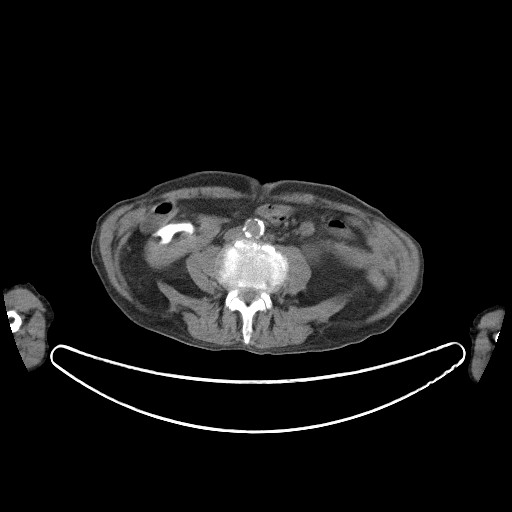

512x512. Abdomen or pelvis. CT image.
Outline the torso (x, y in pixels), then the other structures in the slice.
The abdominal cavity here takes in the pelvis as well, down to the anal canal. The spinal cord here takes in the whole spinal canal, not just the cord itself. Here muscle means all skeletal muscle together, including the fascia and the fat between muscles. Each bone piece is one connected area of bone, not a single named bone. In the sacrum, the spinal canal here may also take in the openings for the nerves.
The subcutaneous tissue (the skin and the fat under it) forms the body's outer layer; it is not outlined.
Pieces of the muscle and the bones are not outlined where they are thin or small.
The torso is outlined by 213,169 245,173 261,182 301,179 326,183 376,207 408,231 422,247 424,276 418,297 385,332 358,343 318,352 273,355 239,349 212,351 135,324 111,300 91,262 90,244 97,218 114,203 162,181 194,171. The right arm is outlined by 27,281 30,282 49,301 54,313 54,319 51,323 47,333 47,340 49,344 47,357 44,363 33,371 29,371 27,369 16,345 13,332 10,327 10,322 7,314 7,309 3,294 3,289 5,286. The spinal cord is outlined by 244,288 252,288 253,289 256,290 258,292 258,294 257,295 257,296 256,296 254,299 253,299 250,302 249,302 248,303 247,303 243,299 242,299 240,297 240,296 239,295 240,294 240,292 241,291 241,290. The bones appear in 2 outlined pieces: piece 1: 239,238 259,243 269,243 275,246 287,258 288,262 286,278 270,293 272,301 271,309 258,310 252,318 252,332 248,344 243,342 241,314 238,310 231,311 224,306 228,288 217,279 217,258 219,253 227,243 with a hole at 244,288 252,288 253,289 256,290 258,292 258,294 257,295 257,296 256,296 254,299 253,299 250,302 249,302 248,303 247,303 243,299 242,299 240,297 240,296 239,295 240,294 240,292 241,291 241,290; piece 2: 7,310 15,310 16,311 16,312 20,316 20,317 21,318 21,320 22,321 22,322 21,323 21,324 20,325 19,328 15,332 13,332 10,327 10,322 9,321 9,318 8,317 8,315 7,314. The muscle appears in 3 outlined pieces: piece 1: 198,186 223,186 257,196 309,193 378,217 416,246 419,270 415,286 393,312 372,323 359,327 333,324 299,344 247,345 255,314 272,309 271,293 288,275 288,258 277,246 298,248 311,269 306,286 297,294 303,305 351,294 331,320 359,320 378,309 394,282 392,249 363,218 323,204 272,198 159,198 149,203 130,232 120,255 121,271 136,298 163,310 168,300 157,282 189,296 201,296 204,293 188,273 186,259 208,246 221,247 216,279 227,288 223,306 240,314 243,343 220,345 196,339 177,323 140,311 118,293 108,278 98,239 104,219 118,207; piece 2: 16,288 25,288 35,294 42,301 45,308 46,338 44,341 45,345 44,353 40,361 29,368 26,367 22,359 13,335 13,333 15,333 20,328 23,322 22,318 15,309 7,309 4,301 4,295 3,294; piece 3: 493,310 505,310 503,314 503,319 501,322 499,331 495,332 492,336 492,338 495,342 494,347 492,350 491,355 479,379 477,380 472,373 472,361 474,357 475,340 477,335 477,325 480,319 486,313. The abdominal cavity is outlined by 192,198 282,200 356,215 393,253 390,292 370,315 331,319 351,301 351,293 303,304 298,294 312,269 301,250 239,237 185,259 201,295 158,280 167,305 147,305 134,295 122,271 122,252 150,203. The left arm is outlined by 495,304 503,304 504,305 505,310 503,314 503,319 501,322 498,336 494,344 494,347 492,350 491,355 478,381 476,383 474,383 469,378 467,373 467,367 470,358 470,337 468,333 468,330 474,317 480,311.